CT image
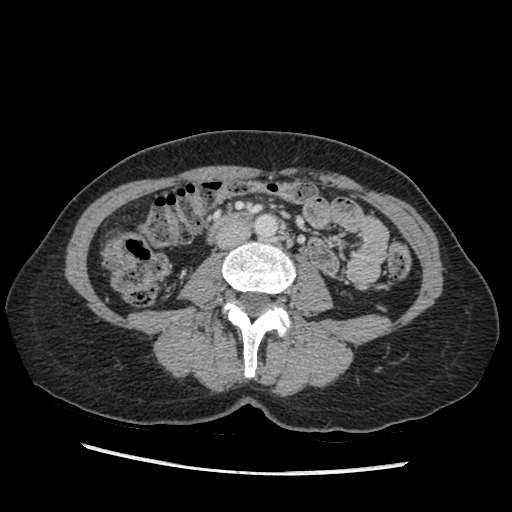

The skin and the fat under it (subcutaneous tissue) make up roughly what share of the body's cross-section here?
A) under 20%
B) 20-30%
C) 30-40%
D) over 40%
Answer: D) over 40%
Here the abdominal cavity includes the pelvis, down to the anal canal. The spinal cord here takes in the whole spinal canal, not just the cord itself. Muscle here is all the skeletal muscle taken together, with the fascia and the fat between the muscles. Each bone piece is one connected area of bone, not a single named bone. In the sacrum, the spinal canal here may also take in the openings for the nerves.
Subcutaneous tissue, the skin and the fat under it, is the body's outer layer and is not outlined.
Outlines:
abdominal cavity: (260, 175) (351, 192) (398, 228) (421, 269) (417, 296) (399, 317) (322, 315) (334, 302) (318, 270) (305, 255) (293, 254) (294, 262) (281, 247) (260, 240) (208, 255) (179, 290) (177, 298) (188, 302) (176, 309) (123, 316) (97, 294) (89, 249) (115, 210) (178, 184)
muscle: (210, 165) (239, 165) (264, 170) (271, 170) (272, 169) (280, 170) (289, 167) (308, 167) (314, 169) (329, 170) (343, 174) (369, 189) (374, 190) (377, 192) (383, 192) (393, 195) (407, 202) (414, 207) (428, 223) (437, 237) (439, 244) (440, 258) (443, 267) (442, 271) (443, 289) (440, 296) (430, 307) (416, 316) (409, 324) (401, 327) (396, 331) (373, 339) (360, 346) (359, 351) (355, 354) (353, 362) (350, 365) (349, 368) (333, 384) (328, 385) (324, 388) (318, 388) (309, 393) (301, 395) (290, 395) (285, 397) (276, 396) (273, 394) (270, 394) (260, 390) (253, 381) (239, 387) (232, 388) (225, 392) (212, 393) (194, 389) (179, 382) (176, 378) (173, 377) (157, 362) (157, 360) (152, 352) (152, 347) (144, 337) (146, 336) (143, 333) (139, 331) (136, 331) (134, 329) (127, 329) (119, 326) (116, 326) (101, 318) (99, 318) (87, 306) (87, 301) (70, 285) (64, 275) (65, 255) (68, 242) (71, 237) (77, 220) (84, 210) (92, 202) (104, 193) (115, 187) (131, 181) (140, 179) (146, 179) (147, 178) (160, 178) (161, 177) (172, 176) (192, 168) (202, 166) (209, 166), around a hole outlined by (260, 175) (291, 176) (367, 202) (407, 239) (421, 281) (411, 305) (394, 320) (377, 313) (337, 319) (322, 315) (334, 302) (318, 270) (305, 255) (293, 254) (292, 284) (270, 296) (291, 325) (283, 336) (274, 329) (264, 334) (255, 374) (248, 378) (241, 331) (221, 311) (240, 295) (222, 276) (222, 252) (212, 252) (190, 274) (177, 294) (188, 302) (182, 307) (125, 316) (95, 291) (88, 254) (102, 221) (132, 200) (178, 184) (231, 183)
torso: (226, 129) (291, 131) (332, 138) (379, 157) (415, 182) (484, 277) (497, 306) (499, 335) (468, 395) (425, 417) (378, 431) (305, 432) (277, 425) (250, 404) (201, 423) (135, 424) (88, 412) (34, 384) (12, 335) (5, 299) (18, 270) (62, 209) (89, 182) (137, 151)
bones 1: (249, 241) (270, 242) (273, 245) (281, 248) (292, 259) (295, 266) (295, 278) (292, 284) (285, 291) (280, 294) (274, 293) (271, 295) (265, 292) (260, 292) (259, 291) (245, 291) (238, 293) (237, 291) (233, 290) (223, 278) (221, 272) (221, 267) (224, 257) (232, 249)
bones 2: (226, 302) (238, 302) (241, 309) (251, 319) (257, 318) (271, 305) (281, 307) (287, 312) (291, 321) (290, 327) (283, 336) (279, 336) (274, 329) (264, 334) (257, 349) (257, 367) (255, 374) (251, 378) (245, 377) (243, 373) (243, 339) (241, 331) (221, 311) (222, 305)
spinal cord: (245, 292) (259, 292) (260, 293) (265, 293) (269, 295) (271, 297) (271, 303) (269, 307) (257, 317) (255, 318) (251, 318) (247, 314) (247, 313) (242, 309) (241, 306) (239, 304) (239, 299) (238, 298) (240, 295) (240, 293) (244, 293)